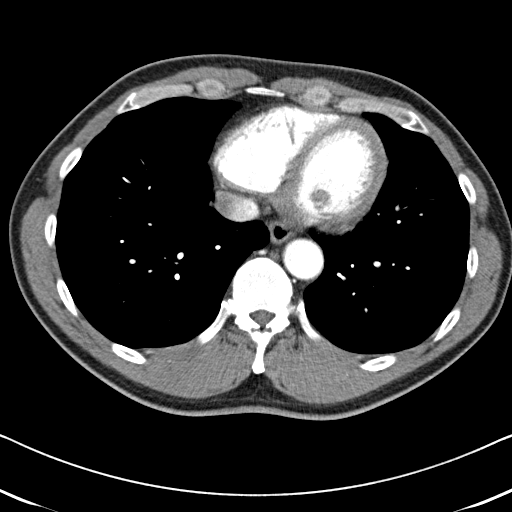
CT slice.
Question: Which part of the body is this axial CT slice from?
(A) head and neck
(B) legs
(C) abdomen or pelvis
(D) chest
Answer: (D) chest
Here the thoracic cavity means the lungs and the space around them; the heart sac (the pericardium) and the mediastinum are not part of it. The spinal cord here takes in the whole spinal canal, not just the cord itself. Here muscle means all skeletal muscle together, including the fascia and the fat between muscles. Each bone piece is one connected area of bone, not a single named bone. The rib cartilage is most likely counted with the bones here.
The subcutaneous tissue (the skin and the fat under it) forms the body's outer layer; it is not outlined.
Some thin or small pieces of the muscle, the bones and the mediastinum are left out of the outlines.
{"torso":[[[200,53],[375,72],[421,94],[459,130],[490,173],[511,222],[511,280],[503,305],[465,353],[403,395],[343,418],[311,420],[268,413],[189,416],[154,409],[122,394],[50,336],[24,300],[10,258],[8,221],[23,177],[54,136],[122,75],[157,60]]],"mediastinum":[[[241,92],[293,100],[236,117],[217,144],[213,173],[222,186],[256,198],[280,218],[330,234],[309,232],[323,252],[323,268],[301,296],[276,261],[246,259],[268,243],[267,227],[257,219],[230,220],[209,204],[215,190],[208,158],[240,106],[226,98]]],"thoracic_cavity":[[[183,96],[239,103],[215,136],[207,158],[214,190],[208,204],[230,221],[261,222],[269,239],[236,269],[229,295],[221,300],[213,320],[195,337],[153,351],[140,351],[106,337],[76,305],[58,261],[57,213],[65,178],[90,142],[115,116],[162,99]],[[363,112],[384,115],[404,129],[429,137],[455,175],[469,210],[465,276],[454,305],[433,332],[420,343],[369,358],[345,350],[323,336],[310,322],[302,296],[324,268],[324,252],[310,232],[341,236],[352,231],[372,208],[387,176],[389,159],[383,142]]],"spinal_cord":[[[258,310],[264,310],[267,312],[269,312],[270,313],[271,313],[273,315],[273,316],[270,319],[270,320],[269,321],[268,321],[262,327],[256,321],[255,321],[252,318],[252,317],[251,316],[251,313],[252,313],[255,311],[257,311]]],"muscle":[[[198,66],[244,68],[265,84],[283,77],[323,77],[405,101],[435,124],[483,184],[502,252],[495,298],[475,329],[433,360],[349,400],[307,403],[275,388],[262,373],[264,354],[271,339],[290,326],[291,315],[311,340],[326,339],[368,358],[357,365],[369,372],[388,368],[397,361],[396,352],[430,336],[433,343],[442,339],[460,318],[461,308],[455,304],[465,278],[472,279],[478,269],[478,250],[469,245],[469,206],[477,201],[476,190],[463,171],[454,173],[426,124],[409,108],[359,96],[341,97],[332,107],[333,94],[319,84],[298,96],[305,103],[258,84],[235,94],[219,79],[206,77],[193,85],[167,83],[131,91],[85,148],[78,145],[63,159],[58,169],[63,181],[59,205],[56,214],[46,216],[43,233],[46,244],[56,251],[60,300],[74,317],[81,313],[110,340],[114,354],[142,365],[148,361],[142,352],[194,338],[203,345],[232,317],[236,328],[255,343],[253,373],[217,395],[174,396],[128,379],[64,333],[35,297],[20,245],[21,220],[41,179],[87,122],[124,92]]],"bones":[{"outer":[[255,257],[267,257],[284,270],[292,282],[294,297],[302,297],[309,322],[325,339],[311,339],[291,314],[289,326],[268,342],[263,354],[265,369],[257,374],[251,367],[256,343],[237,328],[232,316],[207,342],[199,344],[195,339],[230,295],[237,269]],"hole":[[258,310],[264,310],[267,312],[269,312],[270,313],[271,313],[273,315],[273,316],[270,319],[270,320],[269,321],[268,321],[262,327],[256,321],[255,321],[252,318],[252,317],[251,316],[251,313],[252,313],[255,311],[257,311]]},[[206,78],[213,78],[222,82],[226,88],[234,94],[231,96],[218,99],[208,99],[196,96],[186,96],[185,95],[172,96],[162,98],[142,107],[115,115],[115,110],[117,107],[131,92],[138,91],[144,87],[167,84],[187,83],[193,86],[198,81]],[[345,97],[359,97],[365,99],[373,99],[378,101],[383,101],[395,104],[398,106],[401,106],[409,109],[418,115],[429,130],[430,136],[417,131],[413,131],[404,128],[388,116],[378,112],[372,112],[371,111],[344,112],[334,108],[333,105],[341,98]],[[315,85],[323,86],[325,88],[328,89],[332,94],[332,96],[330,99],[330,101],[327,105],[323,106],[322,107],[320,106],[314,106],[313,105],[311,105],[310,104],[306,103],[301,99],[299,99],[299,96],[307,88],[309,87],[312,87]],[[388,353],[395,353],[397,357],[397,359],[394,363],[386,368],[384,368],[380,370],[377,370],[376,371],[369,371],[368,370],[364,370],[360,368],[358,365],[359,363],[361,363],[367,359],[373,358],[374,357],[377,357],[380,355],[387,354]],[[454,306],[458,306],[460,308],[460,315],[459,316],[459,318],[458,320],[455,323],[455,324],[452,327],[452,328],[442,338],[441,338],[439,340],[435,342],[433,342],[431,335],[440,325],[440,324],[446,317],[448,313]],[[111,341],[115,342],[116,343],[118,343],[126,347],[138,350],[145,356],[145,357],[147,359],[147,361],[145,363],[139,364],[138,363],[134,363],[131,361],[128,361],[120,357],[118,355],[114,353],[111,350],[111,347],[110,346],[110,342]],[[58,277],[62,277],[71,295],[71,297],[75,305],[77,307],[77,308],[80,312],[78,316],[76,317],[74,316],[66,308],[66,307],[64,305],[63,302],[61,300],[59,296],[59,294],[57,291],[57,288],[56,287],[56,279]],[[78,146],[80,146],[82,147],[83,149],[82,154],[80,158],[76,163],[76,164],[66,175],[64,179],[63,180],[61,180],[59,178],[59,169],[64,159],[66,157],[66,156],[74,148]],[[459,172],[463,172],[469,178],[469,179],[475,190],[475,194],[476,195],[476,201],[475,202],[475,203],[472,205],[469,205],[469,204],[468,203],[468,202],[467,201],[467,200],[459,185],[459,183],[458,182],[458,180],[457,179],[457,177],[456,176]],[[52,212],[53,213],[54,213],[56,215],[56,229],[55,230],[55,248],[50,247],[47,244],[47,242],[46,241],[46,239],[45,238],[45,234],[44,233],[44,226],[45,225],[45,221],[46,220],[46,218],[47,217],[47,216],[50,213],[51,213]],[[471,245],[473,245],[475,246],[477,250],[477,254],[478,255],[478,264],[477,265],[477,269],[475,272],[475,274],[474,276],[472,278],[468,278],[467,277],[465,277],[466,276],[466,268],[467,267],[467,257],[468,256],[468,251],[469,250],[469,247]],[[255,85],[258,85],[259,86],[265,86],[269,88],[277,89],[278,90],[280,90],[284,92],[285,95],[282,97],[278,97],[277,96],[272,96],[271,95],[261,95],[260,94],[252,94],[251,93],[247,93],[244,91],[244,89],[248,86],[254,86]]],"pericardium":[[[285,101],[295,101],[324,110],[359,116],[371,124],[382,142],[388,159],[385,179],[369,211],[349,231],[341,234],[331,234],[308,225],[288,221],[280,217],[271,207],[256,197],[222,185],[214,173],[212,164],[216,149],[222,136],[234,120],[262,105]]]}